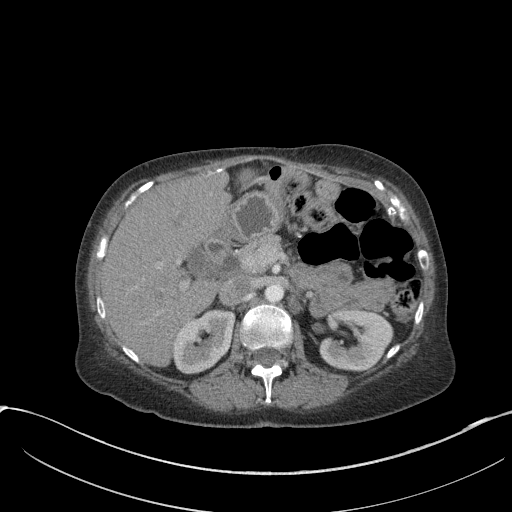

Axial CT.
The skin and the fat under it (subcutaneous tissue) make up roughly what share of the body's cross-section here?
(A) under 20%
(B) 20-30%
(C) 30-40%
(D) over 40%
Answer: (B) 20-30%
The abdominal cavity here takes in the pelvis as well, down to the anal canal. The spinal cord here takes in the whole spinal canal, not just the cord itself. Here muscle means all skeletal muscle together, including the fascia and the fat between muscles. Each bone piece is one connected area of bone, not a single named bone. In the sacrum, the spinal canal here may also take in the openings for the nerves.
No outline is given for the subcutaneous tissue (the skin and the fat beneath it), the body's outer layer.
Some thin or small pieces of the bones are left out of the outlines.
The torso is outlined by 317,143 348,144 382,155 405,169 423,190 447,267 447,330 456,361 450,385 436,397 380,419 300,429 186,425 160,419 154,413 135,411 88,387 74,367 78,340 75,265 87,222 107,187 131,167 167,154. The bones appear in 7 outlined pieces: piece 1: 259,304 283,308 290,315 293,327 291,343 280,351 264,346 251,354 254,364 266,368 277,363 281,355 288,363 272,380 269,404 264,403 266,394 262,378 250,372 250,351 242,345 239,335 244,314; piece 2: 389,191 395,194 400,200 400,202 405,207 406,209 406,212 409,217 407,221 402,221 397,215 389,215 388,214 388,212 387,211 387,207 389,204 389,202 388,201 389,199 389,193 388,192; piece 3: 150,180 153,180 154,181 154,183 148,189 147,189 145,191 142,192 139,195 138,195 137,196 137,197 126,208 125,208 123,206 123,204 126,200 126,199 129,196 129,195 136,188 137,188 142,184 143,184; piece 4: 418,249 424,249 427,252 427,253 428,254 428,256 429,257 429,266 428,267 428,268 426,270 422,270 422,269 420,267 420,265 419,264 419,262 418,261 418,258 417,257 417,251 418,250; piece 5: 105,234 107,235 109,238 107,242 107,246 105,250 105,254 102,258 102,259 100,260 96,257 96,253 97,252 97,250 99,246 99,243 100,242 101,237; piece 6: 123,345 127,348 128,348 130,350 131,350 133,352 134,352 135,354 136,354 136,355 139,358 140,360 140,363 137,363 135,362 132,359 131,359 122,350 121,348 121,346; piece 7: 398,343 399,343 400,344 400,347 399,348 399,350 392,357 391,357 390,358 389,358 388,359 385,359 385,355 386,354 386,353 388,351 388,350 392,346 393,346 395,344 397,344. The abdominal cavity is outlined by 252,160 271,160 366,190 410,233 423,276 413,323 407,336 366,371 336,373 309,361 298,323 283,307 271,303 246,310 239,328 234,328 229,356 191,379 150,368 110,330 96,277 110,236 127,208 155,182. The muscle is outlined by 242,154 270,154 300,162 314,162 329,165 347,166 366,171 376,175 383,176 401,189 411,203 414,210 419,217 420,223 426,233 426,236 433,254 435,264 435,274 436,275 435,277 435,288 436,289 434,294 433,303 431,306 430,311 426,317 425,329 417,353 401,367 394,369 391,372 384,375 379,379 371,382 333,404 324,407 315,408 311,410 306,410 302,412 289,411 278,407 263,407 259,410 253,410 246,413 221,413 216,412 206,409 202,406 197,405 179,393 174,391 166,390 162,386 135,373 125,365 110,357 108,357 104,350 102,343 103,342 102,341 102,335 94,322 93,313 90,310 89,307 88,294 86,287 86,273 89,262 90,251 92,248 92,242 96,236 98,226 102,223 102,220 106,215 107,211 113,204 114,200 131,183 143,177 152,176 167,171 183,169 193,165 203,164 204,162 210,162 216,159 221,159 with holes at 252,160 271,160 366,190 386,206 392,192 409,217 402,225 429,257 428,268 421,271 422,318 412,324 392,357 384,356 355,375 330,371 309,361 304,336 293,320 292,341 279,352 288,364 272,380 269,404 264,403 262,378 250,372 250,351 242,345 237,325 229,356 208,373 184,379 131,359 96,305 101,237 110,237 136,188 150,180 and at 375,179 378,179 380,181 381,181 382,182 382,183 384,185 384,186 385,187 385,190 379,190 378,189 377,189 376,188 376,187 375,186 375,184 374,183 374,180. The spinal cord is outlined by 264,347 273,348 276,350 278,350 280,353 280,356 277,362 275,362 271,366 269,367 266,367 262,365 260,363 254,363 252,359 252,354 253,352 258,349 260,349.